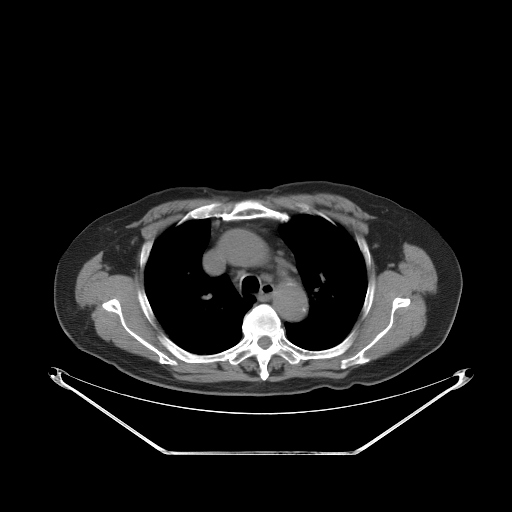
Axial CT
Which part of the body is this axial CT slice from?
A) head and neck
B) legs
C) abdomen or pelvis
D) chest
Answer: D) chest
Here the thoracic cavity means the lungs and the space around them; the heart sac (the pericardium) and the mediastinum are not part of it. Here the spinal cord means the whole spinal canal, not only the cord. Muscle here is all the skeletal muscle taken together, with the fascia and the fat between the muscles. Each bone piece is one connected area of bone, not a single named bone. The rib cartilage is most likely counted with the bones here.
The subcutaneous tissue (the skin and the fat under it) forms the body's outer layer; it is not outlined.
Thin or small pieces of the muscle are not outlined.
The muscle appears in 5 outlined pieces: piece 1: [[404,242],[422,248],[437,273],[437,291],[425,298],[427,321],[423,331],[383,357],[370,361],[365,355],[392,327],[395,311],[410,304],[409,297],[396,296],[386,326],[353,355],[340,360],[342,370],[360,365],[344,377],[267,381],[268,363],[274,355],[296,365],[300,361],[339,356],[352,345],[356,335],[353,326],[360,312],[363,318],[367,316],[374,299],[376,282],[367,278],[371,254],[378,274],[395,270],[404,257]]; piece 2: [[140,248],[139,268],[143,270],[144,288],[137,289],[137,299],[148,322],[154,326],[156,319],[160,324],[165,334],[160,333],[157,338],[175,358],[158,349],[127,325],[117,298],[103,301],[101,307],[117,314],[122,327],[155,353],[158,357],[157,362],[128,352],[115,346],[111,341],[101,338],[95,331],[90,312],[81,309],[75,300],[76,278],[87,260],[102,250],[102,262],[110,267],[108,271],[110,274],[132,276]]; piece 3: [[318,192],[341,195],[358,205],[365,212],[376,217],[367,221],[368,232],[365,238],[356,233],[354,240],[341,225],[321,210],[312,209],[305,202],[298,201],[294,204],[303,213],[290,214],[286,211],[271,208],[257,199],[250,198]]; piece 4: [[253,356],[257,361],[259,368],[258,375],[262,381],[241,381],[240,380],[219,381],[218,382],[184,381],[175,378],[162,365],[176,366],[178,364],[178,361],[176,359],[177,359],[190,364],[207,364],[214,362],[227,361],[231,365],[235,366],[245,359]]; piece 5: [[213,197],[226,197],[229,200],[240,200],[235,202],[229,210],[230,206],[220,201],[202,204],[186,212],[175,224],[168,227],[155,239],[149,238],[144,241],[140,229],[138,227],[126,227],[127,225],[140,219],[149,209],[161,203],[177,199]]. The mediastinum is outlined by [[210,218],[226,222],[266,218],[284,223],[279,228],[279,235],[294,255],[307,295],[309,308],[304,319],[298,322],[286,321],[283,326],[270,304],[259,303],[252,306],[256,298],[253,295],[242,298],[227,275],[210,276],[202,269],[202,256],[210,239]]. The thoracic cavity appears in 2 outlined pieces: piece 1: [[197,219],[209,219],[210,222],[209,239],[200,260],[201,269],[210,277],[227,276],[242,299],[247,296],[255,298],[242,318],[241,338],[232,346],[214,353],[191,352],[175,343],[156,318],[145,290],[144,269],[155,240],[171,226],[178,226],[188,220]]; piece 2: [[296,214],[315,215],[334,225],[341,226],[355,241],[366,268],[366,291],[351,330],[340,342],[324,349],[303,348],[293,343],[285,332],[286,322],[301,322],[307,317],[310,308],[308,295],[296,265],[295,255],[281,237],[279,231],[290,220],[291,215]]. The bones appear in 9 outlined pieces: piece 1: [[259,304],[273,308],[285,336],[303,349],[331,348],[355,330],[351,345],[333,357],[291,364],[274,354],[267,363],[269,375],[265,380],[253,355],[235,365],[227,360],[190,363],[176,358],[158,338],[164,334],[195,354],[221,352],[242,338],[243,318]], around a hole outlined by [[263,336],[267,336],[270,339],[270,340],[271,341],[271,343],[269,345],[269,346],[268,346],[266,348],[263,348],[262,347],[261,347],[258,344],[258,340],[261,337],[262,337]]; piece 2: [[244,199],[254,199],[271,209],[288,213],[290,215],[290,218],[286,222],[266,217],[226,221],[219,217],[210,217],[188,219],[178,225],[176,224],[186,213],[202,205],[214,202],[220,202],[224,205],[229,206],[228,209],[229,211],[235,203]]; piece 3: [[396,297],[407,297],[410,299],[410,302],[407,306],[399,307],[394,311],[393,322],[391,327],[364,352],[364,355],[368,357],[370,360],[366,363],[354,364],[342,369],[340,367],[341,360],[353,356],[387,326],[390,319],[392,302],[393,299]]; piece 4: [[113,298],[115,298],[119,301],[122,315],[126,325],[137,335],[154,346],[158,350],[164,353],[170,358],[175,359],[177,361],[176,365],[159,363],[158,362],[159,358],[158,355],[142,344],[123,327],[117,313],[113,311],[108,311],[102,307],[103,302]]; piece 5: [[140,288],[143,288],[144,289],[145,293],[146,294],[146,296],[147,297],[147,299],[148,300],[148,302],[155,316],[154,325],[151,324],[149,322],[141,308],[141,306],[140,305],[140,303],[138,299],[138,296],[137,295],[137,291],[138,289]]; piece 6: [[370,279],[373,279],[375,282],[375,287],[374,288],[373,299],[372,300],[372,303],[368,313],[365,317],[363,317],[362,316],[361,309],[365,299],[365,296],[367,291],[367,285],[368,284],[368,281]]; piece 7: [[356,234],[358,234],[362,236],[365,239],[367,243],[367,245],[368,246],[368,248],[370,252],[370,258],[371,259],[371,264],[368,268],[366,267],[366,264],[365,263],[365,260],[364,259],[364,257],[355,240],[355,235]]; piece 8: [[149,239],[153,239],[154,241],[151,247],[151,249],[150,250],[150,252],[149,253],[149,255],[148,256],[147,261],[144,266],[144,268],[143,269],[141,269],[140,268],[140,253],[141,252],[141,247],[142,246],[142,244],[145,241]]; piece 9: [[298,202],[301,202],[302,203],[305,203],[307,204],[312,210],[318,210],[319,211],[321,211],[324,214],[329,217],[335,223],[334,224],[323,218],[321,216],[319,216],[315,214],[304,213],[302,212],[299,209],[299,208],[295,205],[295,204]]. The torso is outlined by [[309,179],[347,183],[387,197],[422,216],[453,248],[463,279],[454,321],[444,342],[407,370],[377,384],[355,384],[341,390],[321,387],[269,396],[202,394],[132,377],[78,349],[62,330],[53,305],[56,266],[75,236],[97,217],[168,187],[246,190]]. The spinal cord is outlined by [[263,336],[267,336],[270,339],[270,340],[271,341],[271,343],[269,345],[269,346],[268,346],[266,348],[263,348],[262,347],[261,347],[258,344],[258,340],[261,337],[262,337]].